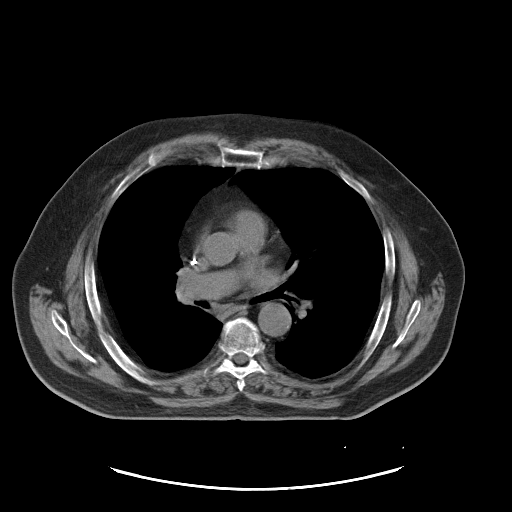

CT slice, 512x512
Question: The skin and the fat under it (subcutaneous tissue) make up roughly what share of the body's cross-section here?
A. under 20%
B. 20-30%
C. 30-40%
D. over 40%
Answer: B. 20-30%
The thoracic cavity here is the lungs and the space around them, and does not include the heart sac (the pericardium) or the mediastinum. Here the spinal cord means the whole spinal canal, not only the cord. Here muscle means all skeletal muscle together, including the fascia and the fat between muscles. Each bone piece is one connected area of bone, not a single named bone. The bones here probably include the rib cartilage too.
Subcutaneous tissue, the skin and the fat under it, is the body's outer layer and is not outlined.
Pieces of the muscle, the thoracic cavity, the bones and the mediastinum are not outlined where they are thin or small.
Outlined structures:
bones 1: (237, 317) (245, 317) (257, 327) (260, 338) (265, 344) (265, 356) (270, 366) (268, 373) (249, 373) (244, 377) (245, 384) (241, 391) (233, 375) (226, 371) (213, 375) (212, 368) (205, 374) (198, 373) (176, 380) (202, 369) (216, 359) (217, 344) (223, 325) with a hole at (237, 353) (243, 353) (244, 354) (245, 354) (247, 356) (247, 357) (248, 358) (248, 359) (247, 360) (247, 361) (245, 364) (243, 364) (242, 365) (238, 365) (237, 364) (236, 364) (234, 362) (234, 361) (232, 359) (233, 358) (233, 356) (235, 354) (236, 354)
bones 2: (89, 251) (91, 252) (91, 257) (94, 262) (96, 289) (102, 311) (100, 319) (103, 328) (113, 337) (121, 349) (143, 369) (147, 377) (158, 381) (157, 384) (148, 385) (138, 381) (129, 375) (114, 361) (103, 345) (90, 313) (85, 294) (84, 269) (86, 256)
bones 3: (218, 143) (220, 143) (224, 146) (229, 146) (233, 148) (261, 150) (266, 155) (276, 154) (287, 160) (284, 164) (275, 165) (270, 168) (261, 168) (260, 169) (245, 166) (224, 166) (223, 167) (214, 166) (209, 164) (206, 161) (206, 158) (208, 156) (217, 155) (219, 153)
bones 4: (388, 294) (391, 294) (392, 296) (392, 300) (391, 301) (391, 307) (389, 312) (389, 316) (388, 317) (388, 320) (384, 332) (373, 352) (367, 360) (360, 366) (360, 363) (364, 355) (363, 354) (364, 353) (365, 344) (371, 333) (371, 331) (375, 323) (380, 305) (384, 297)
bones 5: (162, 150) (168, 151) (167, 155) (161, 161) (160, 161) (155, 167) (145, 172) (134, 180) (120, 194) (115, 200) (111, 207) (110, 207) (109, 202) (110, 201) (111, 194) (120, 181) (127, 174) (132, 171) (136, 167) (145, 164) (148, 156) (151, 153) (153, 152) (158, 152)
bones 6: (385, 227) (387, 227) (389, 229) (391, 233) (392, 239) (393, 240) (393, 245) (394, 246) (394, 252) (395, 253) (395, 273) (393, 277) (391, 279) (384, 273) (384, 271) (385, 270) (385, 250) (384, 249) (384, 244) (383, 243) (383, 238) (382, 237) (382, 231)
bones 7: (52, 310) (55, 310) (67, 323) (67, 325) (68, 326) (68, 332) (73, 342) (82, 350) (91, 355) (96, 360) (97, 362) (96, 363) (93, 363) (91, 362) (85, 357) (84, 357) (78, 351) (77, 351) (71, 345) (69, 342) (69, 340) (55, 327) (51, 319) (51, 312)
bones 8: (416, 299) (419, 300) (420, 302) (420, 309) (419, 310) (419, 312) (409, 327) (407, 331) (407, 333) (402, 341) (396, 347) (392, 348) (392, 344) (396, 340) (397, 337) (399, 335) (400, 332) (404, 326) (405, 320) (406, 319) (406, 316) (410, 309) (410, 307) (414, 300)
bones 9: (337, 168) (341, 168) (350, 176) (351, 176) (353, 178) (356, 179) (359, 182) (360, 182) (366, 188) (367, 191) (369, 193) (369, 194) (371, 197) (371, 202) (367, 202) (360, 194) (359, 194) (354, 189) (353, 189) (349, 185) (348, 185) (338, 175) (338, 174) (337, 173)
spinal cord: (237, 353) (243, 353) (244, 354) (245, 354) (247, 356) (247, 357) (248, 358) (248, 359) (247, 360) (247, 361) (245, 364) (243, 364) (242, 365) (238, 365) (237, 364) (236, 364) (234, 362) (234, 361) (232, 359) (233, 358) (233, 356) (235, 354) (236, 354)
mediastinum 1: (235, 167) (249, 168) (228, 184) (239, 185) (257, 203) (228, 199) (209, 212) (198, 228) (188, 268) (200, 294) (213, 300) (277, 287) (255, 299) (281, 298) (291, 316) (287, 337) (273, 350) (266, 348) (249, 318) (237, 316) (223, 324) (199, 306) (178, 251) (196, 203)
mediastinum 2: (288, 244) (290, 246) (291, 248) (291, 250) (292, 251) (292, 258) (293, 259) (293, 261) (292, 262) (292, 265) (294, 268) (293, 269) (293, 271) (288, 277) (288, 278) (284, 282) (283, 282) (287, 276) (287, 274) (289, 270) (289, 267) (291, 263) (291, 250)
pericardium: (228, 200) (250, 201) (257, 204) (273, 218) (279, 227) (281, 235) (290, 250) (290, 263) (285, 278) (282, 282) (274, 288) (256, 294) (237, 298) (213, 299) (201, 294) (198, 290) (198, 288) (194, 283) (191, 276) (189, 268) (189, 258) (199, 228) (208, 214) (220, 203)
muscle: (201, 132) (219, 133) (227, 136) (239, 146) (242, 146) (247, 142) (252, 140) (265, 137) (277, 137) (278, 138) (287, 137) (303, 140) (322, 147) (343, 161) (359, 175) (364, 177) (375, 185) (381, 196) (399, 223) (403, 227) (405, 233) (408, 237) (418, 264) (419, 269) (418, 287) (422, 290) (427, 288) (430, 285) (431, 281) (439, 272) (442, 274) (442, 277) (445, 284) (444, 307) (438, 319) (437, 325) (426, 346) (410, 363) (400, 370) (370, 383) (350, 395) (341, 405) (330, 408) (317, 409) (316, 408) (292, 407) (287, 405) (270, 402) (257, 402) (247, 398) (242, 394) (238, 395) (230, 401) (216, 404) (212, 406) (169, 407) (157, 404) (141, 394) (117, 393) (111, 391) (106, 387) (85, 380) (64, 371) (55, 365) (50, 360) (35, 334) (30, 321) (29, 291) (31, 286) (38, 283) (46, 288) (51, 289) (52, 290) (51, 297) (54, 300) (63, 301) (64, 299) (62, 296) (62, 287) (64, 282) (64, 274) (68, 259) (71, 254) (72, 249) (76, 243) (77, 238) (87, 223) (95, 203) (106, 183) (117, 172) (148, 147) (159, 142) (178, 137) (188, 133) (200, 133), around holes outlined by (218, 143) (261, 150) (266, 155) (276, 154) (288, 161) (325, 168) (336, 175) (337, 168) (341, 168) (366, 188) (371, 197) (367, 204) (380, 233) (385, 227) (391, 233) (395, 273) (391, 279) (383, 274) (380, 301) (391, 294) (389, 316) (378, 344) (361, 366) (364, 345) (340, 370) (314, 378) (293, 372) (267, 356) (268, 373) (249, 373) (240, 391) (233, 375) (226, 371) (213, 375) (212, 368) (205, 374) (176, 380) (212, 363) (217, 357) (215, 353) (194, 367) (176, 372) (154, 370) (140, 364) (147, 377) (158, 381) (153, 385) (129, 375) (108, 353) (88, 307) (84, 269) (89, 251) (96, 267) (100, 235) (111, 208) (111, 194) (120, 181) (145, 164) (153, 152) (168, 151) (157, 165) (161, 166) (182, 158) (217, 155) and by (52, 310) (55, 310) (67, 323) (67, 325) (68, 326) (68, 332) (73, 342) (82, 350) (91, 355) (96, 360) (97, 362) (96, 363) (93, 363) (91, 362) (85, 357) (84, 357) (78, 351) (77, 351) (71, 345) (69, 342) (69, 340) (55, 327) (51, 319) (51, 312) and by (416, 299) (419, 300) (420, 302) (420, 309) (419, 310) (419, 312) (409, 327) (407, 331) (407, 333) (402, 341) (396, 347) (392, 348) (392, 344) (396, 340) (397, 337) (399, 335) (400, 332) (404, 326) (405, 320) (406, 319) (406, 316) (410, 309) (410, 307) (414, 300)
torso: (227, 112) (319, 120) (346, 129) (386, 157) (429, 198) (444, 217) (453, 232) (463, 259) (465, 282) (450, 347) (439, 366) (415, 387) (351, 419) (114, 419) (88, 411) (56, 394) (31, 369) (16, 330) (11, 279) (15, 261) (49, 199) (90, 154) (134, 125) (170, 116)
thoracic cavity 1: (302, 165) (329, 170) (363, 198) (384, 250) (381, 302) (364, 345) (340, 370) (314, 378) (293, 372) (266, 355) (267, 348) (273, 351) (277, 342) (288, 337) (293, 321) (285, 299) (256, 299) (289, 278) (295, 268) (293, 251) (273, 216) (239, 184) (229, 184) (244, 169)
thoracic cavity 2: (169, 162) (234, 167) (222, 183) (211, 188) (195, 203) (177, 240) (177, 251) (193, 299) (200, 308) (221, 322) (222, 327) (216, 344) (217, 350) (210, 358) (176, 372) (148, 368) (134, 361) (122, 349) (111, 334) (102, 310) (96, 280) (98, 245) (110, 209) (134, 181)